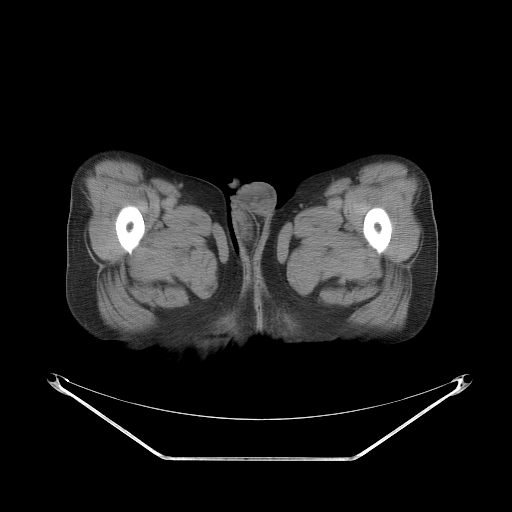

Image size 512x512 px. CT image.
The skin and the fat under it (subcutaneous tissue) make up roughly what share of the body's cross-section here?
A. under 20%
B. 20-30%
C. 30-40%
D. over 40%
D. over 40%
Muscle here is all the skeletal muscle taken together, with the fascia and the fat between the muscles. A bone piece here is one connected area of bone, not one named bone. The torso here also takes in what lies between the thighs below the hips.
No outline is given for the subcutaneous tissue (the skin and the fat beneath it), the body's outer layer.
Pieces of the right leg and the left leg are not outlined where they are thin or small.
{"muscle":[{"outer":[[385,159],[405,162],[422,178],[421,195],[415,209],[423,227],[423,242],[411,267],[412,291],[404,327],[399,331],[389,333],[359,332],[343,326],[344,317],[340,310],[302,303],[287,291],[274,255],[274,240],[286,218],[311,202],[337,175],[349,168]],"hole":[[373,207],[381,207],[383,208],[387,212],[390,218],[390,221],[391,222],[391,225],[392,226],[391,237],[388,243],[388,245],[386,247],[384,251],[383,251],[381,253],[378,253],[377,251],[368,243],[363,234],[363,221],[364,220],[364,217],[368,210]]},{"outer":[[98,158],[135,161],[151,168],[206,205],[225,233],[228,244],[227,279],[216,296],[206,301],[198,299],[190,306],[169,310],[159,328],[152,332],[122,333],[106,325],[99,314],[95,286],[97,268],[83,237],[90,207],[85,191],[78,181],[86,166]],"hole":[[126,205],[134,205],[138,208],[142,215],[142,217],[144,220],[144,224],[145,225],[145,231],[143,236],[139,241],[139,243],[132,250],[130,254],[121,246],[118,240],[116,234],[116,231],[115,230],[115,220],[116,219],[116,216],[119,210],[122,207]]}],"right_leg":[[[109,148],[143,155],[207,180],[223,192],[230,235],[241,262],[252,272],[258,310],[259,335],[234,363],[222,367],[226,349],[204,371],[195,369],[191,354],[182,365],[164,365],[153,349],[129,352],[92,337],[71,315],[65,298],[70,182],[86,157]]],"bones":[[[126,205],[134,205],[138,208],[142,215],[142,217],[144,220],[144,224],[145,225],[145,231],[143,236],[139,241],[139,243],[132,250],[130,254],[121,246],[118,240],[116,234],[116,231],[115,230],[115,220],[116,219],[116,216],[119,210],[122,207]],[[373,207],[381,207],[383,208],[387,212],[390,218],[390,221],[391,222],[391,225],[392,226],[391,237],[388,243],[388,245],[386,247],[384,251],[383,251],[381,253],[378,253],[377,251],[368,243],[363,234],[363,221],[364,220],[364,217],[368,210]]],"left_leg":[[[374,152],[393,152],[412,159],[425,171],[430,181],[438,232],[438,273],[435,303],[427,324],[415,339],[395,347],[387,347],[377,341],[345,344],[340,340],[287,346],[280,341],[274,342],[260,336],[253,273],[262,240],[277,204],[280,205],[302,179]]],"torso":[[[234,175],[240,177],[242,182],[250,182],[251,181],[267,182],[274,187],[277,195],[277,203],[261,240],[260,248],[253,268],[253,272],[242,262],[240,258],[236,247],[237,241],[231,223],[229,197],[234,191],[230,189],[226,185],[226,183],[229,182]]]}